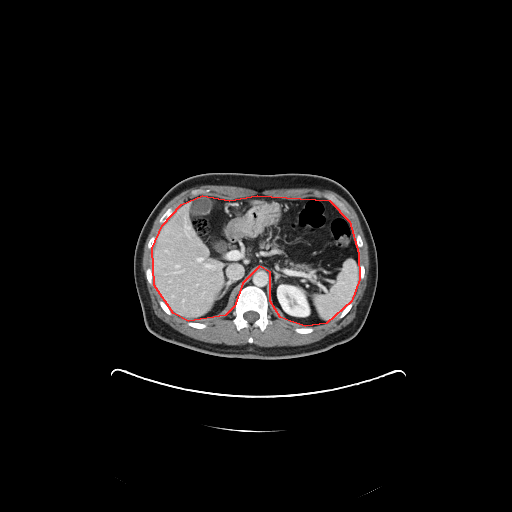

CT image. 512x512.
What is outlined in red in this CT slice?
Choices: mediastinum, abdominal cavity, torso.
red: abdominal cavity.
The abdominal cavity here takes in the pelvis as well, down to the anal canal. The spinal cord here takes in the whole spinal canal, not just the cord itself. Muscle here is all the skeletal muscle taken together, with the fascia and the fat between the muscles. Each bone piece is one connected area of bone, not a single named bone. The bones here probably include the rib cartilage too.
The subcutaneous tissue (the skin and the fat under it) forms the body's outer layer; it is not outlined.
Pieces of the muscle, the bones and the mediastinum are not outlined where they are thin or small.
Outlined structures:
abdominal cavity: 202 195; 229 200; 257 195; 329 200; 349 221; 358 253; 359 279; 351 301; 326 323; 305 326; 290 321; 280 317; 270 301; 270 272; 259 266; 242 283; 234 306; 225 315; 188 321; 173 313; 154 285; 152 248; 162 225; 181 204
muscle: 201 185; 228 185; 229 186; 237 186; 238 187; 248 188; 257 191; 263 191; 269 189; 280 189; 281 188; 322 188; 323 189; 329 189; 336 193; 338 193; 339 195; 346 200; 351 205; 358 216; 360 222; 360 225; 362 228; 368 246; 368 257; 369 258; 369 271; 368 272; 368 278; 367 279; 366 287; 364 290; 363 295; 359 303; 357 305; 356 308; 356 314; 352 321; 346 326; 344 326; 341 329; 325 336; 318 341; 309 344; 297 345; 296 346; 273 346; 272 347; 263 347; 262 346; 258 346; 255 344; 251 344; 254 342; 254 339; 253 337; 250 335; 247 339; 248 344; 241 344; 240 345; 228 345; 223 343; 209 343; 208 342; 200 341; 191 337; 189 337; 177 331; 167 323; 160 319; 154 313; 152 307; 151 299; 149 295; 149 292; 147 289; 146 280; 144 277; 144 273; 142 270; 143 248; 146 239; 151 230; 153 223; 156 217; 163 207; 172 198; 182 191; 186 189; 189 189; 195 186; 200 186 with a hole at 328 194; 349 211; 344 215; 351 225; 354 243; 357 235; 361 237; 363 243; 361 247; 356 248; 358 263; 364 267; 364 277; 358 280; 351 300; 351 308; 343 317; 314 325; 309 333; 298 333; 295 328; 305 326; 280 317; 269 297; 267 317; 270 322; 263 331; 257 326; 238 330; 232 321; 235 317; 233 307; 225 315; 202 319; 199 322; 205 323; 206 326; 195 328; 174 313; 167 314; 160 306; 161 299; 154 284; 150 284; 146 279; 145 272; 151 266; 152 257; 152 249; 147 245; 151 237; 158 235; 163 224; 159 220; 168 208; 171 208; 173 213; 181 204; 202 195; 229 200; 257 195; 299 200; 307 197; 327 199
spinal cord: 248 311; 253 311; 254 312; 256 312; 258 314; 258 318; 257 319; 256 319; 253 322; 252 322; 251 323; 250 322; 249 322; 246 319; 245 319; 245 318; 244 317; 244 314; 246 312; 247 312
mediastinum: 259 267; 261 268; 264 268; 269 272; 270 282; 269 283; 269 287; 268 288; 268 301; 268 297; 266 294; 266 292; 261 287; 259 287; 257 285; 255 285; 254 284; 247 284; 242 287; 242 285; 246 280; 246 279; 254 270
torso: 209 172; 316 174; 340 183; 351 193; 370 227; 378 262; 377 286; 369 313; 363 326; 352 339; 326 351; 301 357; 287 359; 246 359; 216 356; 182 347; 158 338; 146 328; 133 275; 134 250; 139 233; 154 206; 172 186; 190 176
bones 1: 247 285; 254 285; 259 288; 261 288; 265 292; 267 297; 267 301; 268 302; 267 317; 270 322; 265 327; 263 331; 257 326; 251 328; 244 327; 238 330; 236 328; 235 324; 232 321; 235 317; 234 308; 235 307; 236 297; 240 290, around a hole outlined by 248 311; 253 311; 254 312; 256 312; 258 314; 258 318; 257 319; 256 319; 253 322; 252 322; 251 323; 250 322; 249 322; 246 319; 245 319; 245 318; 244 317; 244 314; 246 312; 247 312
bones 2: 328 194; 330 194; 332 195; 337 200; 338 200; 341 203; 342 203; 343 205; 349 211; 349 213; 348 214; 344 214; 342 211; 342 209; 338 205; 337 205; 336 203; 328 199; 327 197; 327 195
bones 3: 168 208; 171 208; 172 209; 172 213; 171 214; 171 215; 170 216; 170 217; 166 221; 165 221; 164 222; 163 222; 162 223; 161 223; 160 222; 159 222; 159 220; 160 219; 160 218; 161 217; 161 216; 166 211; 166 210
bones 4: 301 327; 312 327; 313 328; 313 330; 311 332; 310 332; 309 333; 298 333; 297 332; 296 332; 295 331; 295 328; 300 328
bones 5: 189 321; 190 321; 191 322; 199 322; 200 323; 205 323; 206 324; 206 326; 204 328; 195 328; 194 327; 192 327; 191 326; 190 326; 189 325; 188 325; 187 324; 187 323
bones 6: 150 267; 151 268; 151 271; 152 272; 152 277; 153 278; 153 283; 152 284; 150 284; 147 281; 147 280; 146 279; 146 275; 145 274; 145 272; 146 271; 146 270; 148 268; 149 268
bones 7: 160 300; 162 300; 165 303; 165 304; 169 308; 169 309; 171 311; 171 312; 172 313; 172 314; 171 314; 170 315; 169 315; 168 314; 167 314; 163 310; 163 309; 160 306; 160 305; 159 304; 159 301
bones 8: 350 302; 351 302; 351 304; 352 305; 351 306; 351 308; 349 310; 349 311; 343 317; 342 317; 341 318; 338 318; 338 316; 342 312; 342 311; 346 307; 346 306; 347 306; 348 305; 348 304
bones 9: 359 265; 362 265; 364 267; 364 277; 363 278; 362 278; 361 279; 360 278; 359 278; 359 269; 358 268; 358 267; 359 266
bones 10: 357 235; 359 235; 361 237; 361 239; 362 240; 362 242; 363 243; 363 244; 362 245; 362 246; 361 247; 357 247; 357 246; 356 245; 356 237; 357 236
bones 11: 154 236; 155 237; 155 242; 154 243; 154 245; 153 246; 153 247; 152 247; 151 248; 148 248; 148 247; 147 246; 147 245; 148 244; 148 242; 149 241; 149 240; 150 239; 150 238; 151 237; 153 237